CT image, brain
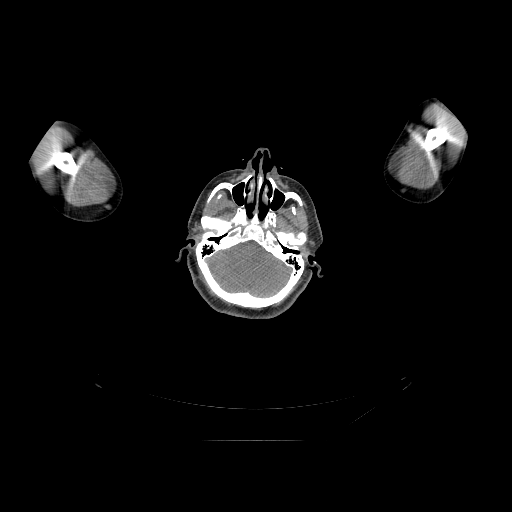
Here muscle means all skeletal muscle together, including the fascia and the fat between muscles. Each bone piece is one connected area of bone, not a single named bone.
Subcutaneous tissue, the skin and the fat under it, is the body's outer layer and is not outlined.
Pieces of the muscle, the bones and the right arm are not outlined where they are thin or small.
{"muscle":[{"outer":[[52,126],[65,127],[82,145],[86,147],[91,147],[95,151],[95,154],[109,168],[115,178],[116,187],[112,195],[105,202],[100,204],[93,204],[89,206],[80,207],[73,206],[67,203],[63,197],[50,193],[43,186],[33,166],[33,151],[44,133]],"hole":[[57,152],[59,153],[68,153],[70,154],[70,155],[72,157],[77,167],[77,171],[78,172],[77,173],[74,173],[73,174],[71,174],[70,173],[68,173],[67,172],[65,172],[61,170],[53,162],[54,155],[55,153]]},{"outer":[[437,101],[443,104],[456,115],[466,129],[466,133],[457,159],[453,163],[446,166],[443,169],[439,178],[439,181],[431,188],[418,189],[401,183],[390,171],[389,163],[395,151],[406,139],[408,135],[407,130],[409,125],[417,122],[424,109],[429,104]],"hole":[[433,126],[444,126],[445,128],[445,130],[446,131],[446,139],[447,141],[441,144],[439,144],[437,145],[432,149],[430,149],[429,150],[424,150],[423,148],[423,139],[425,136],[425,134],[427,130],[430,127],[432,127]]},[[271,175],[276,176],[284,183],[286,183],[293,188],[295,188],[305,200],[308,206],[309,220],[312,229],[312,238],[314,241],[314,244],[313,245],[309,245],[307,247],[307,250],[303,246],[308,238],[307,233],[305,231],[299,230],[295,232],[294,231],[285,231],[281,229],[273,230],[277,226],[277,213],[276,211],[290,199],[295,201],[300,207],[302,207],[303,206],[303,200],[296,191],[294,190],[285,190],[280,187]],[[211,189],[205,200],[206,205],[215,196],[216,199],[219,200],[224,193],[222,192],[222,190],[226,190],[235,202],[236,209],[229,219],[203,213],[199,218],[202,232],[199,239],[196,240],[193,232],[194,223],[198,217],[201,205],[205,200],[208,191]],[[194,252],[196,264],[204,279],[204,281],[206,285],[209,288],[209,289],[220,299],[233,305],[241,307],[238,307],[237,306],[228,306],[225,304],[223,304],[212,297],[207,292],[205,287],[198,277],[198,272],[196,268],[195,260],[194,259]],[[246,171],[248,172],[250,172],[249,172],[244,177],[242,178],[240,178],[234,182],[231,182],[227,180],[222,180],[223,180],[224,178],[226,177],[229,177],[233,175],[235,176],[241,173],[243,173]],[[305,263],[305,269],[306,270],[306,273],[305,274],[305,275],[304,276],[304,277],[303,278],[302,281],[299,284],[299,285],[293,291],[293,290],[294,289],[294,287],[298,282],[299,279],[301,277],[301,276],[302,275],[302,274],[305,269]],[[291,293],[291,294],[281,304],[280,304],[279,305],[278,305],[277,306],[276,306],[275,307],[268,307],[269,307],[270,306],[271,306],[272,305],[274,305],[275,304],[278,304],[279,303],[280,303],[282,301],[283,301]]],"brain":[[[249,241],[255,242],[262,249],[266,252],[270,253],[279,260],[289,270],[287,279],[283,285],[273,293],[268,295],[256,295],[248,290],[237,290],[236,291],[228,290],[220,284],[210,268],[208,260],[218,252],[229,249],[239,244],[246,243]]],"left_arm":[[[430,97],[433,97],[456,115],[466,129],[466,133],[470,141],[470,144],[466,152],[466,155],[460,164],[454,177],[441,195],[432,201],[426,203],[415,203],[400,197],[390,189],[383,176],[383,165],[385,158],[390,148],[401,131],[413,109],[420,102]]],"head":[{"outer":[[259,147],[270,152],[270,157],[262,154],[263,173],[276,166],[300,182],[314,203],[323,241],[309,260],[320,265],[323,276],[314,266],[286,311],[248,319],[212,309],[192,283],[187,251],[175,259],[190,242],[187,221],[204,186],[223,171],[244,168]],"holes":[[[240,184],[242,184],[243,185],[242,187],[242,192],[241,193],[242,194],[242,197],[244,201],[243,203],[241,204],[238,204],[236,203],[236,201],[234,199],[234,194],[233,193],[233,190],[234,188],[235,188]],[[275,191],[277,191],[278,192],[279,192],[279,193],[280,194],[281,194],[283,196],[283,199],[281,202],[281,204],[279,206],[279,207],[278,207],[277,208],[277,209],[273,209],[270,206],[270,204],[273,201],[273,200],[275,197]],[[260,200],[261,201],[261,202],[263,204],[263,205],[264,206],[268,206],[268,208],[266,210],[266,211],[265,212],[265,214],[264,215],[264,216],[263,217],[263,218],[262,219],[260,219],[259,218],[259,202],[260,201]],[[257,153],[260,153],[261,154],[261,155],[260,156],[260,158],[259,159],[259,160],[258,161],[258,170],[257,171],[256,171],[256,170],[255,169],[255,168],[253,166],[253,160],[255,158],[255,157],[257,155]],[[247,204],[253,204],[253,208],[252,209],[252,215],[251,216],[251,217],[249,217],[248,216],[248,215],[247,214],[247,208],[246,207],[246,205]]]}],"bones":[{"outer":[[259,167],[301,198],[302,206],[291,198],[282,204],[284,196],[275,190],[269,206],[276,210],[272,230],[305,232],[307,253],[283,300],[246,308],[210,289],[195,244],[203,214],[229,220],[245,201],[240,183],[233,199],[222,189],[206,204],[214,186]],"holes":[[[249,241],[255,242],[262,249],[266,252],[270,253],[279,260],[289,270],[287,279],[283,285],[273,293],[268,295],[256,295],[248,290],[237,290],[236,291],[228,290],[220,284],[210,268],[208,260],[218,252],[229,249],[239,244],[246,243]],[[260,200],[261,201],[261,202],[263,204],[263,205],[264,206],[268,206],[268,208],[266,210],[266,211],[265,212],[265,214],[264,215],[264,216],[263,217],[263,218],[262,219],[260,219],[259,218],[259,202],[260,201]],[[247,204],[253,204],[253,208],[252,209],[252,215],[251,216],[251,217],[249,217],[248,216],[248,215],[247,214],[247,208],[246,207],[246,205]]]},[[433,126],[444,126],[445,128],[445,130],[446,131],[446,139],[447,141],[441,144],[439,144],[437,145],[432,149],[430,149],[429,150],[424,150],[423,148],[423,139],[425,136],[425,134],[427,130],[430,127],[432,127]],[[57,152],[59,153],[68,153],[70,154],[70,155],[72,157],[77,167],[77,171],[78,172],[77,173],[74,173],[73,174],[71,174],[70,173],[68,173],[67,172],[65,172],[61,170],[53,162],[54,155],[55,153]]],"right_arm":[[[58,119],[71,122],[81,128],[99,146],[114,166],[121,178],[123,186],[123,195],[121,201],[116,209],[111,214],[101,220],[92,222],[84,222],[77,221],[64,216],[57,211],[42,195],[30,173],[28,172],[27,164],[38,140],[44,130],[52,122]]]}